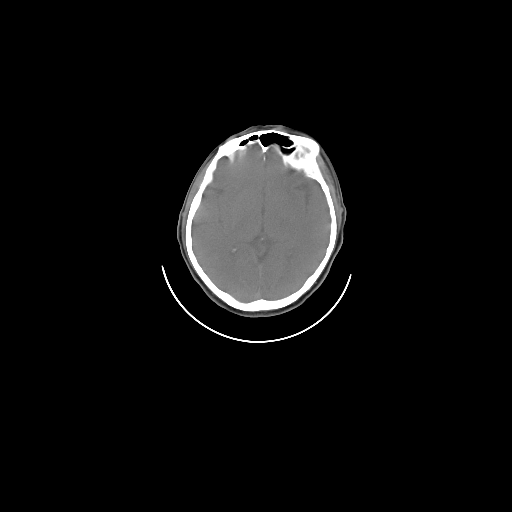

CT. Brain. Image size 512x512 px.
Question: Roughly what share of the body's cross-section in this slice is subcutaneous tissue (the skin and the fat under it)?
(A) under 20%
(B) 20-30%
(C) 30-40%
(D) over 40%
Answer: (A) under 20%
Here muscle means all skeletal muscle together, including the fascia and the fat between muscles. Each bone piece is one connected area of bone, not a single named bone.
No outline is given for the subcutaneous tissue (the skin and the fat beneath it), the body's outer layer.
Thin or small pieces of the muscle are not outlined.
The head is outlined by 257,124 281,124 307,132 315,137 324,147 336,171 347,214 342,246 333,266 320,288 305,303 287,313 266,318 245,318 226,313 214,305 195,283 180,254 176,239 176,227 178,214 190,182 209,152 230,134 with a hole at 272,133 274,134 277,134 278,135 280,135 281,136 283,136 285,137 287,139 287,140 289,141 289,144 281,144 275,141 272,141 268,143 266,145 265,145 261,140 261,136 262,135 265,135 266,134 271,134. The muscle appears in 2 outlined pieces: piece 1: 320,154 329,170 331,177 333,179 333,182 336,189 338,200 342,209 341,212 341,221 340,222 337,237 337,220 336,219 336,211 334,207 334,203 330,193 330,188 323,176 323,174 317,161 317,157 319,156; piece 2: 208,162 205,168 202,179 198,186 198,188 191,199 189,208 187,212 185,227 184,228 184,245 185,246 185,249 182,241 182,218 183,217 183,212 185,209 185,206 189,194 191,191 191,189 199,173. The bones are outlined by 267,129 277,129 294,135 309,137 318,143 320,153 316,157 316,161 329,188 333,203 336,241 326,265 315,282 295,301 276,309 245,311 232,307 220,299 197,274 186,252 185,228 192,199 219,145 228,138; inner edges: 253,146 263,153 273,150 285,167 302,172 317,182 324,195 330,220 323,256 297,289 278,298 260,297 243,301 219,287 200,264 193,249 192,224 203,194 214,179 219,160 225,157 232,162 237,152 241,156, then 272,133 274,134 277,134 278,135 280,135 281,136 283,136 285,137 287,139 287,140 289,141 289,144 281,144 275,141 272,141 268,143 266,145 265,145 261,140 261,136 262,135 265,135 266,134 271,134. The brain is outlined by 253,146 263,153 273,150 285,167 302,172 317,182 324,195 330,220 323,256 297,289 278,298 260,297 243,301 219,287 200,264 193,249 192,224 203,194 214,179 219,160 225,157 232,162 237,152 241,156.